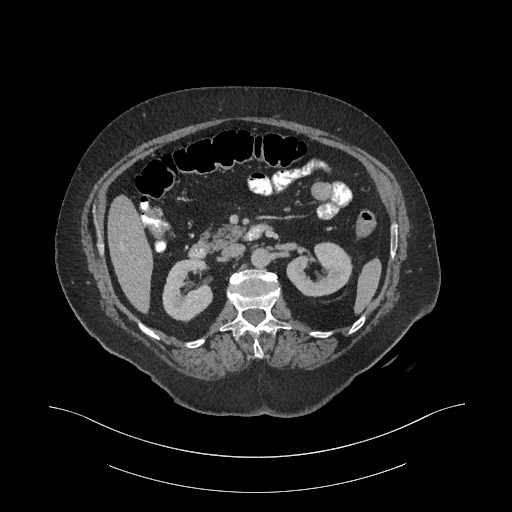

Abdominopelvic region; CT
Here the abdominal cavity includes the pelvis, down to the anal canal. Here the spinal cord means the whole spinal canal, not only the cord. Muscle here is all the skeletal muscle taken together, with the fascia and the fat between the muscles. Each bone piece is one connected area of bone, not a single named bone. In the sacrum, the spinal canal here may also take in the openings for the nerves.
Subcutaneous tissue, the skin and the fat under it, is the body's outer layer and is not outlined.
The spinal cord is outlined by 249,309 259,309 260,310 262,310 264,313 264,317 263,318 263,319 255,325 254,325 250,322 249,322 244,317 244,315 243,314 246,310 248,310. The muscle is outlined by 234,116 276,117 279,119 284,119 285,120 297,122 301,124 315,127 331,133 347,141 349,143 363,149 388,167 395,176 401,187 404,196 406,204 407,215 410,222 410,230 407,236 407,243 408,244 407,245 407,256 401,265 400,277 397,285 397,290 399,292 399,298 397,302 395,303 393,308 387,314 384,315 381,318 379,323 372,330 362,337 350,349 341,356 325,365 309,371 284,371 271,367 263,361 253,361 248,368 224,377 217,381 204,381 189,376 186,376 172,369 139,341 136,341 129,334 126,333 112,322 110,318 103,312 100,306 100,302 99,301 100,299 98,296 98,293 95,286 93,277 87,268 87,262 79,242 79,234 80,233 79,228 80,227 81,212 83,209 85,201 88,197 88,195 94,184 106,170 129,151 143,142 145,142 163,134 168,133 173,130 188,125 204,121 208,121 213,118 233,117 with a hole at 236,120 303,134 371,172 389,223 397,223 398,245 354,333 347,335 348,325 324,338 310,336 312,328 292,316 281,292 271,313 292,328 280,328 275,336 262,331 262,358 254,356 248,331 236,341 230,330 218,329 237,315 227,298 201,336 205,342 189,348 156,328 159,340 146,335 116,294 96,246 93,205 102,237 106,193 124,171 165,144. The torso appears in 2 outlined pieces: piece 1: 201,86 293,87 354,105 394,141 420,183 431,212 441,271 433,309 371,368 324,406 305,415 210,415 175,403 147,374 106,351 87,333 70,309 57,278 54,236 58,215 72,175 91,142 135,104 162,93; piece 2: 397,353 398,353 398,356 396,358 396,359 393,362 392,362 388,366 387,366 386,367 385,367 384,368 382,368 381,367 382,366 382,365 388,359 389,359 392,356 393,356 395,354 396,354. The bones appear in 7 outlined pieces: piece 1: 245,269 265,270 276,274 281,291 271,313 278,320 292,326 291,329 278,329 275,336 261,332 258,341 263,352 262,358 254,356 253,337 248,331 236,341 230,330 218,329 237,315 226,291 231,274, around a hole outlined by 249,309 259,309 260,310 262,310 264,313 264,317 263,318 263,319 255,325 254,325 250,322 249,322 244,317 244,315 243,314 246,310 248,310; piece 2: 393,220 394,220 397,223 397,225 398,226 398,245 397,246 397,249 396,250 396,255 395,256 395,257 394,258 394,259 393,260 390,260 390,224 391,223 391,222; piece 3: 93,205 95,206 95,220 97,223 98,230 102,237 103,243 104,244 104,259 105,260 105,265 103,263 103,258 99,255 98,253 98,250 96,246 96,242 97,241 97,229 95,226 94,216 92,212; piece 4: 134,317 136,317 137,318 138,318 144,324 145,324 148,327 153,329 153,330 155,332 155,333 156,334 157,334 160,337 160,339 159,340 156,340 155,339 153,339 149,336 146,335 139,328 136,321 134,319; piece 5: 364,312 365,312 366,313 366,317 365,318 365,321 364,322 364,323 363,324 363,325 357,331 356,331 354,333 353,333 350,335 347,335 347,332 349,330 349,329 350,328 350,327 351,326 351,325; piece 6: 312,330 334,330 334,332 332,334 331,334 329,336 328,336 327,337 325,337 324,338 315,338 314,337 312,337 311,336 310,336 308,334 308,333 310,331 311,331; piece 7: 200,337 203,337 205,339 205,342 202,345 200,345 199,346 198,346 197,347 195,347 194,348 189,348 188,347 185,346 183,344 183,343 185,341 189,341 190,340 193,340 194,339 196,339 197,338 199,338. The abdominal cavity is outlined by 236,120 303,134 351,155 371,172 389,220 389,259 379,292 350,325 312,329 294,318 277,274 265,269 245,268 231,273 225,291 227,298 215,319 201,336 189,340 148,326 116,294 103,239 109,186 161,146.